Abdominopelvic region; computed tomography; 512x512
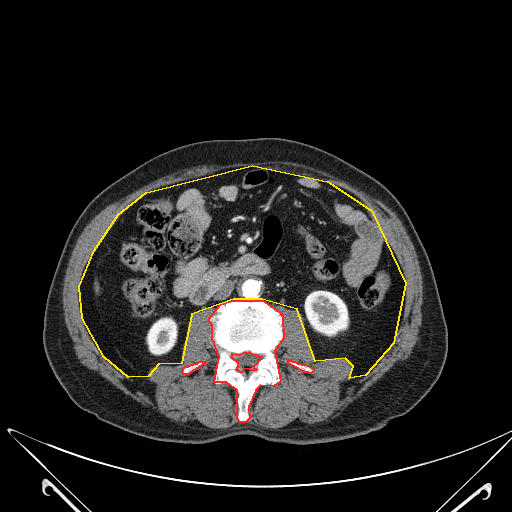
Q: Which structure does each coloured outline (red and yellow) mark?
A: red: bones; yellow: abdominal cavity.
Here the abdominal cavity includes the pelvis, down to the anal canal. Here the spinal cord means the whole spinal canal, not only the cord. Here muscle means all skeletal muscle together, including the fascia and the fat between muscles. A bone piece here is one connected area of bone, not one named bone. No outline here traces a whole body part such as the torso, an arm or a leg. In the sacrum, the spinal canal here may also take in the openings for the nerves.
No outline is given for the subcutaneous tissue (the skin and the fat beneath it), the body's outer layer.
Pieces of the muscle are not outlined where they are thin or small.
{"bones":[{"outer":[[233,300],[262,300],[279,311],[282,316],[283,338],[274,351],[280,381],[273,386],[260,385],[255,390],[248,406],[249,418],[245,422],[240,422],[237,418],[237,390],[226,382],[214,382],[219,356],[212,338],[212,325],[208,319],[220,304]],"hole":[[243,352],[249,352],[252,354],[255,354],[256,355],[259,355],[261,356],[256,364],[253,366],[253,367],[256,369],[255,370],[251,370],[250,369],[243,368],[241,372],[236,369],[238,366],[238,363],[232,358],[231,356],[232,355],[232,353],[239,354]]},[[288,360],[291,360],[292,361],[294,361],[297,363],[300,363],[301,364],[305,364],[311,367],[313,369],[313,371],[310,373],[308,372],[305,372],[304,371],[302,371],[298,368],[288,363],[287,362]],[[200,361],[205,361],[205,362],[203,364],[202,364],[200,366],[199,366],[197,368],[196,368],[194,370],[193,370],[188,374],[184,374],[183,373],[182,370],[183,369],[183,368],[185,366],[188,366],[191,364],[193,364],[194,363],[197,363]]],"abdominal_cavity":[[[252,165],[327,181],[371,210],[405,283],[393,343],[365,375],[349,378],[353,366],[345,358],[315,361],[297,309],[262,299],[233,299],[191,314],[181,363],[158,364],[148,376],[128,377],[104,357],[82,318],[79,286],[94,250],[118,214],[146,192]]],"spinal_cord":[[[243,352],[249,352],[252,354],[255,354],[256,355],[259,355],[261,356],[256,364],[253,366],[253,367],[256,369],[255,370],[251,370],[250,369],[243,368],[241,372],[236,369],[238,366],[238,363],[232,358],[231,356],[232,355],[232,353],[239,354]]],"muscle":[{"outer":[[270,160],[293,161],[294,162],[307,164],[316,168],[319,168],[332,174],[336,178],[348,182],[350,184],[365,190],[372,195],[381,199],[397,214],[404,225],[407,233],[414,245],[422,274],[423,303],[421,307],[422,323],[418,332],[418,337],[419,338],[413,346],[411,353],[406,359],[396,363],[383,377],[364,392],[362,395],[358,397],[357,399],[346,406],[340,412],[340,414],[338,416],[330,418],[327,421],[310,425],[303,423],[296,419],[287,425],[279,428],[264,428],[253,423],[238,423],[223,429],[221,428],[217,429],[210,428],[197,421],[194,421],[191,423],[187,423],[186,424],[181,424],[174,422],[166,418],[154,409],[152,409],[151,407],[141,405],[129,396],[114,387],[100,376],[97,372],[88,368],[80,362],[74,349],[74,343],[68,333],[67,328],[64,322],[64,315],[62,307],[63,280],[67,264],[71,255],[71,252],[75,242],[83,228],[100,210],[106,205],[118,200],[128,193],[143,185],[145,185],[152,180],[174,171],[186,167],[190,167],[194,165],[224,164],[237,161],[269,161]],"holes":[[[252,165],[357,196],[395,253],[405,297],[389,349],[365,375],[350,378],[345,358],[315,361],[297,309],[276,306],[280,381],[255,390],[240,422],[237,390],[214,382],[213,307],[191,314],[181,363],[128,377],[88,333],[79,286],[94,250],[134,200]],[[288,360],[291,360],[292,361],[294,361],[297,363],[300,363],[301,364],[305,364],[311,367],[313,369],[313,371],[310,373],[308,372],[305,372],[304,371],[302,371],[298,368],[288,363],[287,362]],[[200,361],[205,361],[205,362],[203,364],[202,364],[200,366],[199,366],[197,368],[196,368],[194,370],[193,370],[188,374],[184,374],[183,373],[182,370],[183,369],[183,368],[185,366],[188,366],[191,364],[193,364],[194,363],[197,363]]]}]}